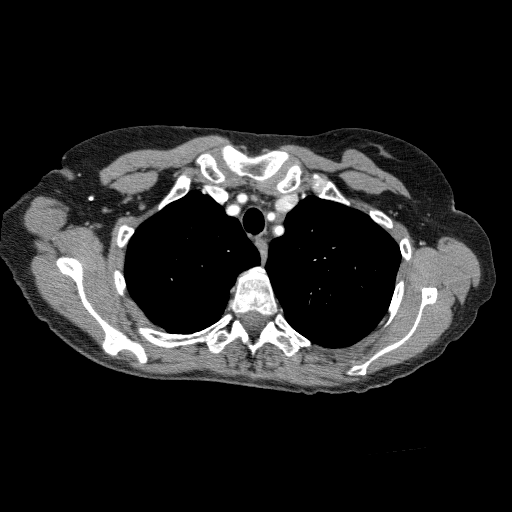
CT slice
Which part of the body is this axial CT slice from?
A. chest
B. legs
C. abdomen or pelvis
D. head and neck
Answer: A. chest
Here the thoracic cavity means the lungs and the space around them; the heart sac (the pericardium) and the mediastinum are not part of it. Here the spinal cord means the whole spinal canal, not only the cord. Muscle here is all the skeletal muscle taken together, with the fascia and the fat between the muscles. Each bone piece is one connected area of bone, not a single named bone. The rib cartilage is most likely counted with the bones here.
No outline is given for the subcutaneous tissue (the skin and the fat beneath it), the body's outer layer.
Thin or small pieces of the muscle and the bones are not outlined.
The muscle is outlined by 211 134; 225 136; 236 143; 251 147; 272 148; 282 144; 295 144; 333 160; 338 160; 341 152; 346 148; 362 152; 380 168; 398 178; 408 190; 410 199; 388 193; 383 196; 383 203; 397 212; 397 218; 407 227; 415 244; 435 248; 438 239; 443 236; 463 242; 479 260; 481 273; 478 286; 472 288; 464 303; 454 310; 450 325; 436 343; 420 355; 385 367; 372 373; 365 380; 337 386; 303 386; 198 370; 151 373; 129 366; 119 359; 108 357; 108 355; 115 357; 122 351; 128 351; 140 364; 145 364; 148 361; 145 348; 139 341; 110 324; 96 311; 86 296; 83 266; 76 257; 60 255; 55 260; 55 264; 62 274; 73 280; 82 305; 102 329; 104 336; 99 343; 101 349; 84 331; 55 311; 42 298; 29 271; 32 252; 22 226; 24 211; 36 196; 56 198; 70 207; 71 219; 75 224; 82 225; 85 222; 105 244; 109 240; 110 224; 118 213; 122 196; 116 190; 101 184; 99 171; 126 152; 145 148; 168 149; 192 138; inner edges: 228 143; 249 155; 263 149; 291 155; 258 184; 264 189; 272 190; 288 168; 301 166; 303 178; 295 191; 312 193; 310 176; 318 173; 333 181; 359 211; 386 213; 393 222; 393 229; 386 230; 397 243; 403 237; 411 241; 410 258; 401 259; 396 276; 404 281; 403 296; 386 326; 387 312; 352 345; 312 343; 290 356; 268 342; 252 355; 236 338; 213 353; 205 342; 162 347; 137 333; 137 327; 160 328; 127 291; 120 295; 115 287; 113 271; 123 271; 125 255; 116 242; 118 229; 135 229; 153 215; 179 175; 190 178; 191 189; 207 183; 195 162; 202 152; 216 156; 225 184; 251 180; 230 171; 218 156, then 429 286; 437 289; 437 298; 433 303; 424 306; 421 318; 411 336; 398 347; 386 352; 372 361; 367 367; 364 375; 347 374; 346 371; 350 366; 364 362; 375 352; 396 342; 409 331; 414 323; 421 303; 421 289. The thoracic cavity appears in 2 outlined pieces: piece 1: 312 193; 320 199; 355 208; 367 215; 394 239; 401 256; 396 281; 386 313; 365 337; 346 347; 323 347; 320 344; 313 343; 292 327; 283 314; 283 309; 275 296; 270 278; 264 267; 270 243; 285 231; 284 221; 286 215; 301 198; piece 2: 191 189; 199 189; 203 194; 208 194; 228 216; 238 220; 243 232; 259 255; 260 265; 251 266; 238 274; 229 289; 230 297; 225 312; 219 319; 190 333; 172 333; 151 323; 128 293; 123 273; 124 256; 135 229; 144 220; 182 198. The right arm is outlined by 38 181; 42 185; 42 191; 43 192; 42 205; 36 220; 35 232; 29 249; 29 254; 27 258; 26 265; 23 271; 13 278; 9 269; 3 260; 0 258; 0 238; 1 237; 3 215; 6 209; 12 205; 24 192; 33 187. The torso is outlined by 150 124; 295 135; 359 127; 415 145; 444 174; 455 206; 487 234; 496 276; 491 297; 439 357; 363 393; 306 395; 211 381; 152 380; 89 360; 32 313; 13 279; 27 265; 36 232; 44 198; 40 178; 60 167; 64 152; 89 137. The mediastinum is outlined by 249 180; 257 182; 264 189; 273 189; 281 193; 293 191; 311 193; 301 197; 285 215; 283 221; 284 231; 269 243; 263 266; 258 251; 247 237; 239 220; 228 215; 224 208; 208 193; 203 193; 199 188; 194 188; 208 182; 237 185. The spinal cord is outlined by 249 311; 255 311; 259 314; 260 314; 262 316; 265 317; 265 323; 264 324; 263 327; 261 329; 261 330; 258 333; 257 336; 256 336; 255 337; 252 337; 249 334; 249 333; 243 326; 243 324; 241 321; 241 318; 242 317; 242 315. The bones appear in 11 outlined pieces: piece 1: 254 266; 264 268; 285 320; 312 343; 310 346; 301 347; 287 356; 276 345; 266 342; 252 355; 236 338; 218 353; 213 353; 205 342; 162 347; 137 333; 137 327; 143 326; 172 334; 190 334; 210 326; 226 312; 230 289; 239 274; inner edge: 249 311; 255 311; 259 314; 260 314; 262 316; 265 317; 265 323; 264 324; 263 327; 261 329; 261 330; 258 333; 257 336; 256 336; 255 337; 252 337; 249 334; 249 333; 243 326; 243 324; 241 321; 241 318; 242 317; 242 315; piece 2: 60 256; 73 257; 80 262; 82 266; 82 284; 87 300; 95 311; 110 325; 142 345; 147 355; 145 363; 140 363; 128 350; 122 350; 113 356; 102 349; 100 343; 104 339; 104 331; 83 305; 74 280; 62 273; 57 266; 56 260; piece 3: 228 143; 232 144; 238 149; 246 152; 249 155; 258 154; 263 149; 267 150; 281 149; 286 151; 291 155; 277 172; 267 178; 263 183; 259 183; 247 176; 239 176; 235 174; 230 171; 224 165; 223 162; 218 156; 218 152; 222 146; piece 4: 429 286; 437 289; 437 298; 433 303; 424 306; 421 318; 411 336; 398 347; 386 352; 372 361; 367 367; 364 375; 347 374; 346 371; 350 366; 364 362; 375 352; 396 342; 409 331; 414 323; 421 303; 421 289; piece 5: 313 173; 318 173; 322 176; 333 181; 336 184; 337 187; 343 193; 343 194; 351 201; 350 202; 350 205; 352 206; 347 206; 339 202; 336 202; 335 201; 328 200; 327 199; 323 199; 317 196; 313 192; 310 186; 310 176; piece 6: 202 152; 210 152; 215 156; 216 156; 219 162; 219 164; 223 169; 226 175; 226 180; 224 182; 220 182; 219 183; 210 182; 209 181; 207 181; 205 180; 201 175; 199 171; 199 167; 196 164; 195 162; 195 160; 197 156; piece 7: 181 174; 188 176; 190 178; 191 180; 191 183; 190 184; 190 189; 187 192; 187 193; 182 197; 170 202; 168 204; 164 206; 160 210; 156 211; 156 206; 157 204; 170 190; 171 187; 173 185; 174 182; 176 180; 178 176; piece 8: 293 165; 295 166; 301 166; 302 168; 302 177; 303 178; 300 182; 301 184; 299 186; 299 187; 292 191; 287 191; 286 192; 281 192; 280 191; 278 191; 276 190; 274 188; 274 186; 282 178; 284 177; 287 169; 291 167; piece 9: 401 279; 404 281; 404 291; 403 292; 403 296; 402 297; 401 302; 396 313; 390 322; 386 326; 383 326; 383 324; 385 323; 386 320; 389 316; 389 314; 387 312; 388 311; 388 306; 390 303; 390 301; 394 291; 395 284; 397 281; piece 10: 369 208; 370 208; 371 209; 380 209; 381 210; 382 210; 385 213; 386 213; 392 219; 392 221; 393 222; 393 229; 387 229; 386 230; 385 230; 381 226; 380 226; 377 223; 376 223; 370 217; 370 216; 369 215; piece 11: 121 225; 127 225; 128 226; 130 226; 131 227; 134 228; 134 231; 133 232; 131 237; 129 239; 125 249; 122 249; 121 248; 120 248; 117 245; 117 243; 116 242; 116 237; 117 236; 117 233; 118 232; 118 229; 119 228; 119 227.